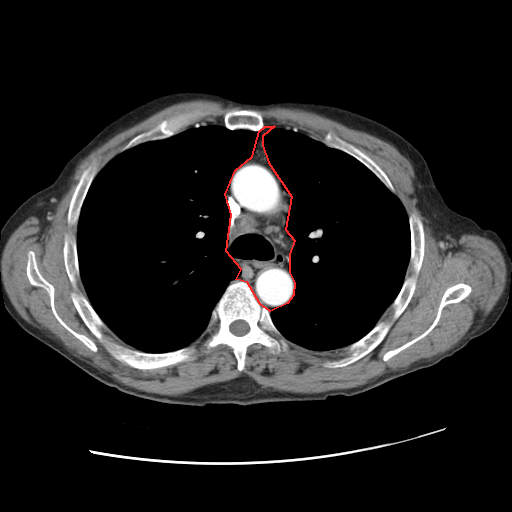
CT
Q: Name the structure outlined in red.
A: red: mediastinum.
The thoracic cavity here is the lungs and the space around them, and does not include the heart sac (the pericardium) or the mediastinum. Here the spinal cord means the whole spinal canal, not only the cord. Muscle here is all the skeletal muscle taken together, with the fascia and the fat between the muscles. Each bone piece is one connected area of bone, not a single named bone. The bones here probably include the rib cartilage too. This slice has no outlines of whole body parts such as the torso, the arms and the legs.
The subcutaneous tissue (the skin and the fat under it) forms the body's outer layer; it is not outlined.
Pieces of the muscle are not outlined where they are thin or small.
mediastinum: 265,126 274,126 262,136 262,145 268,162 291,196 285,229 294,240 289,254 289,272 294,282 293,295 287,303 270,311 260,304 247,282 236,279 241,269 226,251 231,214 225,194 235,170 252,156 259,131
spinal cord: 237,320 243,320 244,321 245,321 248,324 248,325 249,326 249,330 245,334 244,334 243,335 236,335 235,334 234,334 233,333 232,333 230,331 230,325 234,321 236,321
bones 1: 234,280 243,281 250,286 259,304 269,311 275,327 294,344 290,344 278,354 270,353 268,348 260,343 249,345 241,371 237,368 237,360 230,346 218,344 207,351 203,344 210,333 207,328 212,311 230,282 with a hole at 237,320 243,320 244,321 245,321 248,324 248,325 249,326 249,330 245,334 244,334 243,335 236,335 235,334 234,334 233,333 232,333 230,331 230,325 234,321 236,321
bones 2: 67,233 73,235 76,240 79,267 77,289 87,298 110,330 102,329 103,333 121,345 146,353 171,352 192,345 195,350 191,359 159,368 138,369 114,358 108,352 82,320 72,301 73,287 63,256 64,237
bones 3: 415,210 423,224 424,252 415,289 408,304 381,342 371,351 345,366 325,367 323,365 325,360 338,358 342,348 356,342 366,335 380,320 387,319 390,316 390,306 398,295 406,276 410,273 411,231 409,214
bones 4: 196,111 201,112 202,114 198,115 196,117 195,119 195,123 192,123 185,128 168,137 162,139 155,139 154,140 145,141 120,152 121,149 131,139 135,136 153,128 161,121 182,113 185,113 186,112 195,112
bones 5: 29,251 33,251 38,269 43,277 54,287 54,306 58,315 74,331 80,334 83,334 92,340 97,347 96,351 91,350 82,341 67,330 57,320 51,309 50,298 46,290 40,286 34,286 30,283 26,272
bones 6: 458,283 468,284 471,287 470,293 459,302 449,303 445,305 441,310 440,317 437,324 425,336 401,350 386,361 384,361 383,356 386,352 401,346 421,334 432,323 436,316 441,298 445,290 448,287
bones 7: 329,132 334,135 336,135 343,140 352,144 371,158 386,174 389,180 391,182 393,187 395,189 395,194 393,193 372,171 371,171 363,163 362,163 355,157 345,152 343,150 327,145 323,141 324,140 324,136
bones 8: 93,162 95,162 97,165 97,173 93,178 81,205 80,211 79,212 79,216 77,220 77,224 76,226 68,225 68,223 67,222 67,214 68,213 69,205 70,204 70,201 71,200 72,195 83,171
bones 9: 233,109 251,109 252,110 256,110 257,111 259,111 263,119 264,127 262,129 258,131 254,131 253,130 250,130 249,129 244,129 243,128 238,128 237,129 229,129 227,128 224,125 224,115 228,111 232,110
thoracic cavity 1: 196,123 259,134 251,156 234,170 224,194 230,214 225,251 238,265 240,274 229,282 211,311 206,329 196,339 175,350 146,352 120,339 90,303 80,277 78,220 94,178 116,155 145,142 168,138
thoracic cavity 2: 274,127 297,128 352,156 397,196 408,216 410,257 397,295 366,334 341,348 318,351 302,347 281,333 270,314 274,308 287,304 295,291 290,272 290,254 295,240 286,229 292,196 269,162 263,145 263,136
muscle 1: 198,99 217,101 222,103 224,106 238,106 242,108 266,109 270,107 285,107 311,111 339,122 350,128 366,132 388,142 394,146 409,160 412,165 416,176 416,195 417,196 416,206 423,216 431,220 443,229 459,234 476,234 483,236 492,240 498,246 503,255 506,264 506,279 503,291 492,309 483,318 479,324 464,335 452,347 443,352 434,355 428,359 411,366 386,372 378,377 371,379 364,384 355,387 331,389 318,393 296,393 284,391 281,389 269,386 264,386 257,383 252,378 245,374 242,374 235,378 226,381 207,384 189,392 179,395 165,395 152,393 136,389 118,381 111,376 97,370 95,367 78,358 60,346 54,340 26,321 19,314 12,304 5,288 3,274 1,269 1,258 6,242 18,226 28,217 35,214 39,214 48,209 59,200 70,184 78,164 94,149 100,146 116,134 137,124 154,113 168,106 179,102 with holes at 233,109 259,111 265,126 297,128 321,142 330,132 352,144 383,170 407,215 420,216 424,252 413,294 381,342 352,363 323,365 341,348 295,343 272,354 253,343 239,371 230,346 207,351 206,329 189,344 191,359 138,369 108,352 72,301 63,245 67,233 77,237 67,214 83,171 95,162 98,173 131,139 165,119 198,111 196,123 223,125 and at 29,251 33,251 38,269 43,277 54,287 54,306 58,315 74,331 80,334 83,334 92,340 97,347 96,351 91,350 82,341 67,330 57,320 51,309 50,298 46,290 40,286 34,286 30,283 26,272 and at 458,283 468,284 471,287 470,293 459,302 449,303 445,305 441,310 440,317 437,324 425,336 401,350 386,361 384,361 383,356 386,352 401,346 421,334 432,323 436,316 441,298 445,290 448,287
muscle 2: 102,330 104,330 105,331 107,331 108,332 111,331 120,340 121,340 125,344 126,344 128,346 131,347 126,346 123,344 121,344 120,343 119,343 118,342 111,339 109,337 108,337 104,333 104,332